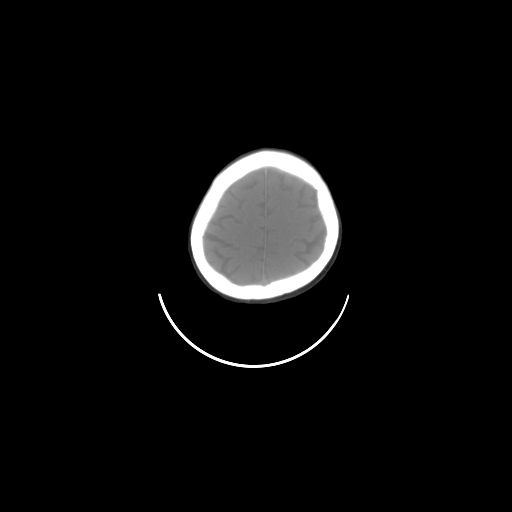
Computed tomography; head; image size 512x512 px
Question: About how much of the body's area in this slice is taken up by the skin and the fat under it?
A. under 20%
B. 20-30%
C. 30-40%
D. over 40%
Answer: A. under 20%
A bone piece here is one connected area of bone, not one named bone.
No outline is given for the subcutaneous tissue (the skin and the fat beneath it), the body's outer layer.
{"head":[[[261,145],[274,145],[291,148],[309,158],[317,166],[329,184],[341,211],[343,219],[343,241],[339,255],[329,273],[321,282],[308,292],[293,299],[271,305],[238,305],[220,299],[200,283],[191,267],[186,252],[186,231],[196,205],[219,168],[236,154]]],"brain":[[[266,167],[275,168],[295,176],[313,188],[315,191],[316,205],[325,230],[322,248],[317,257],[306,267],[299,271],[284,277],[271,280],[264,284],[240,284],[232,281],[218,271],[208,261],[204,247],[204,235],[220,200],[228,188],[250,172]]],"bones":[{"outer":[[264,148],[284,150],[293,153],[309,162],[319,172],[331,192],[336,207],[339,220],[339,234],[331,258],[320,273],[306,285],[294,291],[271,298],[239,299],[219,292],[212,287],[200,273],[192,256],[190,247],[190,230],[198,206],[216,174],[237,158]],"hole":[[266,167],[275,168],[295,176],[313,188],[315,191],[316,205],[325,230],[322,248],[317,257],[306,267],[299,271],[284,277],[271,280],[264,284],[240,284],[232,281],[218,271],[208,261],[204,247],[204,235],[220,200],[228,188],[250,172]]}]}